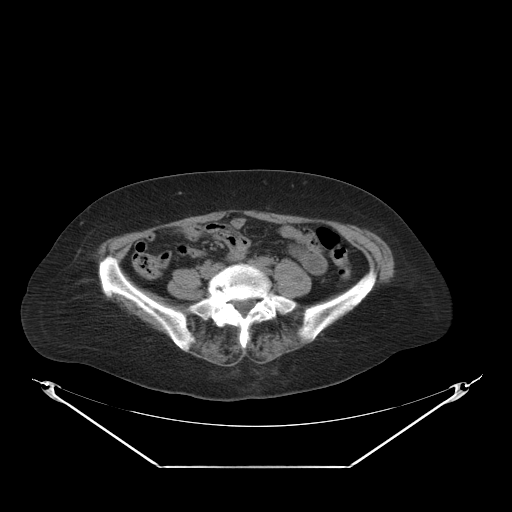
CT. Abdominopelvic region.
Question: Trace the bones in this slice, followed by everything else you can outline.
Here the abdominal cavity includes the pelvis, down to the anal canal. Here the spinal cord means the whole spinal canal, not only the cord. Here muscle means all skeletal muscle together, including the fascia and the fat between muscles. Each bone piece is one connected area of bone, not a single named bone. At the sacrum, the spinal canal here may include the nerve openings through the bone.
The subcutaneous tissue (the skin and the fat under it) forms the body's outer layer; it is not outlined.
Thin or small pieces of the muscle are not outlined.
Answer: The bones appear in 3 outlined pieces: piece 1: 238,263 258,268 270,280 271,291 298,303 286,314 278,313 271,319 254,322 248,329 250,338 244,348 239,342 240,329 237,326 226,324 219,327 210,318 205,320 186,309 188,305 209,295 208,283 216,273 with a hole at 248,299 252,299 253,300 254,300 254,303 253,304 252,307 247,312 246,315 245,316 243,316 241,314 241,313 235,307 234,304 232,302 233,301 242,301 243,300 247,300; piece 2: 107,255 111,255 117,260 124,276 139,290 158,303 179,310 185,314 186,325 195,339 188,351 185,352 178,347 163,327 151,315 138,307 133,301 120,294 114,293 111,296 108,296 104,293 98,274 98,264; piece 3: 371,268 373,269 376,273 376,280 371,290 365,297 364,297 362,300 351,310 346,312 324,328 312,341 307,343 303,341 298,335 298,330 302,325 303,312 305,307 312,304 327,301 342,293 357,282. The muscle appears in 3 outlined pieces: piece 1: 180,268 194,268 208,292 207,296 188,304 185,309 205,321 210,319 219,328 226,325 237,327 242,349 251,338 249,329 254,323 271,320 278,314 286,315 299,303 311,304 304,307 301,325 297,330 298,337 307,344 264,364 244,358 233,366 220,366 189,354 187,352 196,339 187,325 186,314 147,295 122,271 139,286 182,303 167,289 172,272; piece 2: 227,209 254,209 280,214 322,218 341,223 349,223 365,228 379,236 390,248 394,260 394,276 389,283 382,285 362,301 375,285 377,273 373,268 371,267 369,269 368,259 360,249 350,243 335,228 323,223 280,223 256,218 239,212 232,212 216,220 153,230 132,240 120,266 118,260 114,256 107,254 98,262 97,274 101,289 106,296 111,297 116,294 133,302 138,308 151,316 162,327 176,346 171,345 161,333 147,323 134,315 129,315 117,304 106,300 103,297 97,281 94,254 98,246 108,238 129,232 140,231 158,224 167,223 190,216 202,215; piece 3: 285,258 289,259 295,262 309,276 309,277 311,279 311,288 310,290 302,297 300,297 296,299 292,299 284,295 278,294 274,292 272,290 271,290 272,283 275,279 275,276 274,275 274,269 277,265 277,263. The spinal cord is outlined by 248,299 252,299 253,300 254,300 254,303 253,304 252,307 247,312 246,315 245,316 243,316 241,314 241,313 235,307 234,304 232,302 233,301 242,301 243,300 247,300. The abdominal cavity is outlined by 232,213 280,224 330,226 364,254 368,270 345,290 312,303 295,300 311,290 312,279 286,257 276,263 272,282 246,262 225,266 207,286 194,267 176,268 166,289 182,302 160,295 136,283 121,266 133,240. The torso is outlined by 254,168 304,171 340,179 372,193 394,209 429,252 450,289 454,317 443,337 400,351 334,385 237,401 206,400 152,390 84,364 48,359 33,349 24,335 19,314 27,282 61,231 90,203 116,188 152,177.